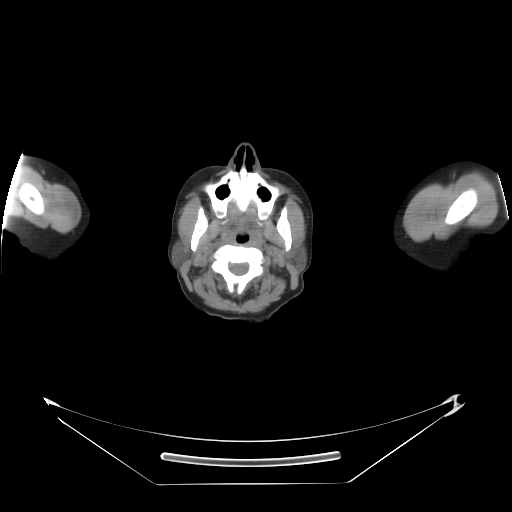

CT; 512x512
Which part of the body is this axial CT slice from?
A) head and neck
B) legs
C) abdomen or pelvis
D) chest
Answer: A) head and neck
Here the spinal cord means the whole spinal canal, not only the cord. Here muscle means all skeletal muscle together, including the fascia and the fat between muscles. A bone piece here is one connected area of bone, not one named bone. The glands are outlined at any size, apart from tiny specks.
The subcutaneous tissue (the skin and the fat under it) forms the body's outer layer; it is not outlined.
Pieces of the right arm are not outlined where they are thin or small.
The head and neck is outlined by (242, 141) (248, 141) (253, 145) (263, 166) (278, 168) (293, 175) (305, 189) (313, 211) (312, 258) (303, 275) (303, 290) (267, 321) (260, 323) (226, 320) (194, 309) (183, 294) (176, 271) (167, 256) (171, 218) (180, 187) (197, 169) (208, 165) (225, 164) (236, 146) with holes at (247, 148) (248, 148) (249, 149) (250, 149) (250, 150) (251, 151) (251, 154) (252, 155) (252, 158) (253, 159) (253, 162) (252, 163) (252, 164) (251, 165) (251, 167) (250, 168) (250, 169) (248, 169) (246, 167) (246, 160) (247, 159) and at (241, 147) (242, 147) (243, 148) (243, 152) (242, 153) (242, 159) (241, 160) (241, 165) (240, 166) (240, 167) (238, 169) (237, 169) (237, 166) (236, 165) (236, 163) (235, 162) (235, 160) (236, 159) (236, 158) (238, 155) (238, 152) (239, 151) (239, 149) and at (225, 185) (227, 187) (227, 189) (228, 190) (228, 191) (227, 192) (227, 194) (225, 196) (224, 196) (223, 197) (220, 197) (218, 195) (218, 194) (217, 193) (217, 191) (218, 190) (218, 189) (221, 186) (224, 186) and at (260, 188) (264, 188) (268, 192) (268, 193) (269, 194) (269, 196) (266, 199) (263, 199) (263, 198) (259, 194) (259, 190) (260, 189) and at (240, 236) (241, 237) (242, 236) (243, 236) (244, 236) (245, 236) (246, 237) (247, 238) (247, 239) (246, 239) (245, 240) (245, 241) (244, 241) (243, 241) (242, 241) (241, 242) (240, 242) (239, 241) (238, 241) (238, 240) (238, 239) (238, 238) (238, 237) (239, 237). The left arm is outlined by (464, 158) (479, 160) (488, 164) (495, 170) (499, 177) (503, 191) (508, 221) (503, 229) (496, 235) (484, 237) (477, 241) (475, 243) (473, 253) (455, 273) (449, 275) (442, 273) (421, 273) (410, 263) (393, 241) (391, 231) (394, 215) (407, 192) (426, 174) (448, 162). The bones appear in 6 outlined pieces: piece 1: (242, 165) (245, 165) (248, 170) (258, 172) (270, 184) (280, 185) (285, 191) (275, 200) (272, 211) (265, 220) (258, 218) (256, 206) (253, 203) (242, 212) (232, 201) (228, 204) (226, 216) (218, 218) (208, 195) (203, 190) (206, 183) (216, 182) (230, 169) (238, 170) with holes at (225, 185) (227, 187) (227, 189) (228, 190) (228, 191) (227, 192) (227, 194) (225, 196) (224, 196) (223, 197) (220, 197) (218, 195) (218, 194) (217, 193) (217, 191) (218, 190) (218, 189) (221, 186) (224, 186) and at (260, 188) (264, 188) (268, 192) (268, 193) (269, 194) (269, 196) (266, 199) (263, 199) (263, 198) (259, 194) (259, 190) (260, 189); piece 2: (225, 244) (241, 244) (246, 247) (256, 247) (263, 254) (264, 258) (261, 264) (263, 269) (262, 274) (251, 279) (246, 284) (243, 291) (240, 294) (238, 294) (235, 291) (230, 292) (222, 275) (213, 271) (211, 267) (211, 264) (215, 259) (213, 253) (217, 248); inner edge: (229, 263) (236, 263) (237, 264) (238, 264) (239, 263) (247, 263) (248, 264) (248, 269) (247, 270) (247, 271) (245, 273) (244, 273) (243, 274) (241, 274) (240, 275) (236, 275) (235, 274) (234, 274) (229, 269) (229, 268) (228, 267) (228, 265) (229, 264); piece 3: (469, 188) (472, 188) (474, 190) (475, 190) (477, 194) (477, 202) (475, 206) (473, 208) (473, 209) (463, 219) (460, 220) (458, 222) (454, 224) (447, 224) (445, 223) (444, 221) (444, 219) (445, 218) (445, 216) (447, 213) (447, 211) (450, 205) (463, 191); piece 4: (24, 182) (31, 182) (37, 188) (37, 189) (41, 194) (43, 198) (43, 201) (44, 202) (44, 212) (42, 214) (40, 215) (38, 215) (37, 214) (35, 214) (33, 213) (29, 209) (28, 209) (19, 199) (19, 194) (18, 193) (18, 191) (20, 189) (20, 187) (24, 183); piece 5: (285, 205) (287, 208) (287, 218) (288, 219) (288, 221) (290, 225) (290, 229) (291, 230) (291, 237) (292, 238) (291, 247) (288, 251) (286, 251) (285, 250) (285, 245) (284, 244) (284, 240) (280, 235) (276, 228) (276, 222) (280, 216) (281, 210) (283, 206); piece 6: (199, 206) (202, 206) (203, 210) (204, 211) (204, 214) (207, 219) (208, 223) (207, 224) (207, 228) (206, 230) (199, 238) (196, 250) (195, 251) (193, 251) (190, 247) (190, 240) (191, 239) (191, 235) (194, 228) (194, 225) (197, 219) (197, 213) (198, 212). The right arm is outlined by (22, 154) (32, 154) (40, 156) (51, 160) (64, 168) (77, 182) (82, 196) (89, 207) (90, 221) (85, 232) (69, 252) (60, 259) (53, 261) (41, 260) (21, 246) (18, 243) (16, 237) (8, 232) (6, 230) (6, 226) (4, 226) (4, 209) (9, 186) (15, 168). The spinal cord is outlined by (229, 263) (236, 263) (237, 264) (238, 264) (239, 263) (247, 263) (248, 264) (248, 269) (247, 270) (247, 271) (245, 273) (244, 273) (243, 274) (241, 274) (240, 275) (236, 275) (235, 274) (234, 274) (229, 269) (229, 268) (228, 267) (228, 265) (229, 264). The muscle appears in 3 outlined pieces: piece 1: (230, 166) (235, 169) (230, 168) (216, 181) (208, 181) (202, 186) (218, 219) (227, 216) (232, 202) (242, 213) (253, 204) (260, 221) (265, 221) (272, 213) (276, 200) (286, 191) (280, 184) (270, 183) (258, 171) (252, 170) (255, 167) (291, 186) (307, 209) (305, 240) (296, 249) (284, 254) (286, 261) (300, 272) (298, 285) (259, 313) (239, 314) (204, 305) (187, 289) (178, 267) (190, 258) (190, 251) (176, 238) (177, 212) (185, 194) (200, 179) with holes at (225, 244) (241, 244) (246, 247) (256, 247) (263, 254) (264, 258) (261, 264) (263, 269) (262, 274) (251, 279) (246, 284) (243, 291) (240, 294) (238, 294) (235, 291) (230, 292) (222, 275) (213, 271) (211, 267) (211, 264) (215, 259) (213, 253) (217, 248) and at (285, 205) (287, 208) (287, 218) (288, 219) (288, 221) (290, 225) (290, 229) (291, 230) (291, 237) (292, 238) (291, 247) (288, 251) (286, 251) (285, 250) (285, 245) (284, 244) (284, 240) (280, 235) (276, 228) (276, 222) (280, 216) (281, 210) (283, 206) and at (199, 206) (202, 206) (203, 210) (204, 211) (204, 214) (207, 219) (208, 223) (207, 224) (207, 228) (206, 230) (199, 238) (196, 250) (195, 251) (193, 251) (190, 247) (190, 240) (191, 239) (191, 235) (194, 228) (194, 225) (197, 219) (197, 213) (198, 212) and at (240, 236) (241, 237) (242, 236) (243, 236) (244, 236) (245, 236) (246, 237) (247, 238) (247, 239) (246, 239) (245, 240) (245, 241) (244, 241) (243, 241) (242, 241) (241, 242) (240, 242) (239, 241) (238, 241) (238, 240) (238, 239) (238, 238) (238, 237) (239, 237); piece 2: (469, 167) (479, 167) (488, 172) (491, 175) (498, 189) (500, 206) (498, 214) (494, 221) (490, 225) (483, 228) (460, 228) (444, 240) (436, 239) (423, 242) (413, 241) (405, 233) (402, 225) (404, 212) (412, 197) (427, 183) (445, 178) (450, 176) (454, 171) (457, 172), around a hole outlined by (469, 188) (472, 188) (474, 190) (475, 190) (477, 194) (477, 202) (475, 206) (473, 208) (473, 209) (463, 219) (460, 220) (458, 222) (454, 224) (447, 224) (445, 223) (444, 221) (444, 219) (445, 218) (445, 216) (447, 213) (447, 211) (450, 205) (463, 191); piece 3: (19, 159) (27, 163) (29, 163) (37, 169) (51, 176) (51, 177) (57, 182) (65, 184) (72, 190) (77, 197) (82, 210) (82, 216) (80, 222) (73, 230) (66, 234) (61, 234) (53, 230) (43, 229) (37, 227) (25, 220) (16, 217) (10, 217) (4, 211) (10, 182), around a hole outlined by (24, 182) (31, 182) (37, 188) (37, 189) (41, 194) (43, 198) (43, 201) (44, 202) (44, 212) (42, 214) (40, 215) (38, 215) (37, 214) (35, 214) (33, 213) (29, 209) (28, 209) (19, 199) (19, 194) (18, 193) (18, 191) (20, 189) (20, 187) (24, 183). The parotid glands appear in 2 outlined pieces: piece 1: (305, 241) (306, 241) (306, 244) (305, 246) (306, 247) (306, 250) (307, 251) (307, 257) (306, 258) (306, 262) (302, 270) (301, 271) (298, 271) (287, 261) (287, 260) (285, 258) (285, 254) (293, 250) (296, 250) (298, 248) (299, 245) (301, 243) (303, 243); piece 2: (176, 240) (179, 240) (183, 244) (183, 245) (189, 251) (189, 258) (187, 260) (185, 260) (182, 263) (181, 263) (178, 266) (176, 266) (174, 264) (174, 263) (172, 261) (172, 246) (173, 245) (173, 244) (174, 243) (174, 242).